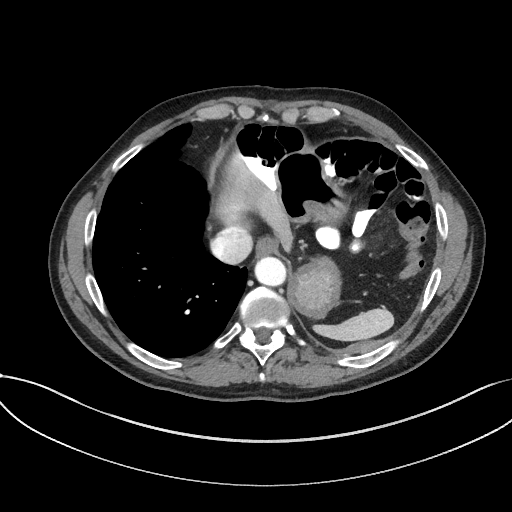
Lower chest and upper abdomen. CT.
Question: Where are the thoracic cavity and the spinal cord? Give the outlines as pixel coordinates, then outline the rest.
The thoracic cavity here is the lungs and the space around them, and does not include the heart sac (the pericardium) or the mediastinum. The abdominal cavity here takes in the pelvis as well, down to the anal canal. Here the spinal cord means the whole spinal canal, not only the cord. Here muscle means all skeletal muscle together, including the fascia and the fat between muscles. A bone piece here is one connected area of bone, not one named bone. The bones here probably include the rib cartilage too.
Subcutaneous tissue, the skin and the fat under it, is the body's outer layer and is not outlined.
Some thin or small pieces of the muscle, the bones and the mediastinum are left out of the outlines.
Answer: Outlines:
thoracic cavity 1: 167 358; 200 351; 229 328; 238 316; 237 305; 247 275; 246 268; 224 264; 205 250; 202 238; 209 209; 206 183; 197 170; 179 159; 180 149; 191 131; 190 122; 166 132; 116 173; 98 213; 92 244; 94 275; 110 314; 131 340
thoracic cavity 2: 339 356; 349 356; 364 353; 382 344; 358 346; 355 348; 349 348; 347 350; 330 350; 320 346; 317 342; 310 340; 304 335; 301 327; 293 316; 293 313; 289 313; 289 319; 295 327; 298 335; 303 337; 307 342; 317 349
spinal cord: 259 343; 266 343; 267 342; 268 342; 269 341; 269 336; 270 335; 270 334; 271 333; 271 330; 270 329; 269 329; 268 328; 266 328; 265 327; 260 327; 259 328; 258 328; 257 329; 256 329; 255 330; 255 335; 256 336; 256 340
mediastinum 1: 285 298; 285 262; 279 255; 275 242; 266 228; 264 227; 242 231; 220 230; 212 228; 205 229; 203 240; 206 250; 208 252; 224 263; 237 265; 239 267; 244 266; 247 268; 247 282; 242 297; 252 288; 263 285; 275 290
mediastinum 2: 204 178; 207 178; 208 163; 212 156; 219 147; 219 145; 225 139; 228 132; 237 123; 237 121; 235 119; 224 118; 216 120; 206 120; 205 121; 191 122; 192 131; 187 139; 186 143; 181 149; 180 159; 185 163; 191 165; 197 169
muscle: 306 388; 366 375; 395 362; 423 342; 467 286; 473 235; 461 205; 417 152; 429 166; 428 171; 420 171; 432 199; 447 212; 448 236; 445 241; 438 237; 434 267; 441 267; 442 277; 436 293; 427 308; 418 311; 394 338; 402 341; 389 355; 367 368; 342 367; 335 363; 341 357; 308 343; 300 346; 295 337; 286 334; 284 346; 262 367; 236 337; 221 349; 211 345; 173 359; 183 363; 181 368; 153 368; 125 348; 129 339; 110 315; 104 317; 97 310; 84 283; 85 274; 93 273; 91 247; 85 246; 83 238; 85 216; 94 206; 99 211; 115 174; 110 166; 121 153; 141 141; 147 145; 180 123; 196 120; 198 108; 220 102; 249 105; 256 110; 255 117; 262 112; 279 117; 293 107; 302 113; 310 105; 333 106; 341 114; 332 119; 347 120; 393 147; 398 142; 412 148; 382 121; 333 101; 245 96; 202 101; 137 135; 76 203; 60 243; 58 277; 64 297; 97 338; 150 373; 220 387; 260 382; 258 373; 262 370; 265 382
torso: 279 402; 359 391; 405 374; 433 356; 457 329; 479 285; 486 244; 483 217; 468 191; 429 144; 391 108; 366 94; 327 86; 248 84; 212 87; 168 98; 142 113; 64 198; 48 244; 48 276; 55 302; 88 350; 139 383; 208 400
abdominal cavity: 330 349; 386 342; 403 331; 418 310; 439 236; 429 190; 415 167; 364 129; 324 131; 315 123; 288 124; 278 117; 267 122; 254 117; 239 119; 209 163; 205 179; 210 197; 206 227; 266 227; 286 262; 286 301; 290 311; 304 334
bones 1: 261 366; 275 350; 283 346; 286 333; 295 336; 300 345; 307 344; 303 338; 296 334; 288 319; 289 309; 285 299; 275 291; 263 286; 252 289; 241 299; 238 305; 238 318; 212 345; 213 348; 221 348; 237 336; 240 344; 255 355, around a hole outlined by 259 343; 266 343; 267 342; 268 342; 269 341; 269 336; 270 335; 270 334; 271 333; 271 330; 270 329; 269 329; 268 328; 266 328; 265 327; 260 327; 259 328; 258 328; 257 329; 256 329; 255 330; 255 335; 256 336; 256 340
bones 2: 197 120; 223 118; 230 115; 231 117; 236 119; 239 118; 247 119; 253 117; 256 114; 256 112; 253 108; 249 106; 240 105; 234 107; 227 103; 220 103; 219 104; 215 104; 212 106; 204 107; 198 109; 196 111; 196 119
bones 3: 355 368; 363 368; 364 367; 367 367; 377 362; 389 354; 397 346; 401 340; 398 338; 393 339; 386 343; 384 343; 376 349; 364 354; 356 355; 355 356; 350 356; 349 357; 338 358; 336 360; 336 363; 339 365; 354 367
bones 4: 288 123; 294 123; 300 117; 303 119; 307 119; 311 122; 327 121; 332 118; 337 117; 340 114; 340 112; 336 108; 333 107; 332 108; 326 108; 322 106; 310 106; 306 108; 305 111; 302 114; 296 108; 288 109; 282 112; 280 117
bones 5: 163 370; 168 370; 169 369; 173 369; 174 368; 181 367; 182 366; 182 363; 180 361; 173 360; 172 359; 167 359; 158 356; 155 354; 153 354; 140 347; 130 340; 127 341; 125 343; 126 348; 137 358; 153 367; 159 368
bones 6: 104 316; 109 316; 109 313; 105 306; 105 304; 103 301; 101 293; 99 290; 99 288; 97 285; 96 280; 93 274; 90 272; 88 272; 85 276; 85 283; 86 284; 86 286; 88 289; 89 294; 92 298; 96 307; 98 309; 98 310
bones 7: 420 312; 422 312; 426 308; 432 299; 435 293; 435 291; 438 286; 438 284; 441 277; 441 269; 440 267; 438 266; 437 267; 435 267; 431 273; 430 278; 428 281; 428 283; 424 291; 424 294; 423 295; 422 301; 419 307; 419 311
bones 8: 419 170; 420 169; 424 169; 425 170; 428 170; 428 166; 427 165; 427 164; 425 162; 425 161; 415 151; 414 151; 412 149; 411 149; 402 144; 399 144; 398 143; 396 143; 394 145; 395 148; 402 155; 403 155; 414 166; 415 166
bones 9: 114 173; 115 173; 121 167; 122 167; 133 156; 134 156; 142 148; 143 148; 145 146; 145 144; 141 142; 140 143; 138 143; 134 145; 132 147; 129 148; 126 151; 125 151; 122 154; 121 154; 114 161; 114 162; 111 166; 111 170
bones 10: 443 240; 445 240; 446 239; 446 237; 447 236; 447 217; 446 216; 446 212; 445 211; 443 206; 439 202; 438 202; 437 201; 434 203; 434 207; 435 208; 435 215; 436 216; 436 223; 437 224; 437 229; 438 230; 439 235
bones 11: 86 246; 91 246; 91 244; 92 243; 93 233; 94 232; 94 228; 95 227; 95 221; 96 220; 96 217; 97 216; 97 211; 94 207; 92 208; 88 212; 86 216; 86 219; 85 220; 85 227; 84 228; 84 238; 85 239; 85 244